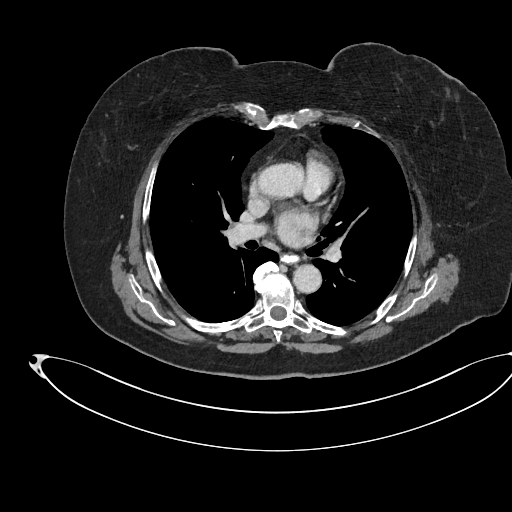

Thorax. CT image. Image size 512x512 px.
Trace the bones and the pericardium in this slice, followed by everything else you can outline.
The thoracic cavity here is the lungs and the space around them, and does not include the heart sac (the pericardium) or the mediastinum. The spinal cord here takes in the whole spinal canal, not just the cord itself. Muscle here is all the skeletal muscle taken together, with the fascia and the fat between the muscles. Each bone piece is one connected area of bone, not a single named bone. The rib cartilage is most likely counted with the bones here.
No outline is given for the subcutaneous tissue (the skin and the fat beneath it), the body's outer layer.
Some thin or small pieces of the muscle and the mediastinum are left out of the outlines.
{"bones":[{"outer":[[268,261],[286,276],[295,297],[308,312],[349,332],[339,336],[313,328],[306,333],[286,326],[278,343],[273,328],[267,325],[252,332],[241,326],[215,334],[198,331],[186,323],[177,311],[210,323],[232,320],[247,312],[260,296],[254,290],[253,273]],"hole":[[276,306],[279,306],[280,307],[281,307],[282,308],[283,308],[285,310],[285,316],[282,319],[275,319],[273,317],[272,317],[272,316],[270,314],[270,312],[271,311],[271,310],[272,309],[272,308],[273,308],[274,307],[275,307]]},[[246,102],[252,102],[262,106],[269,116],[277,113],[294,112],[304,107],[309,107],[314,111],[319,112],[320,115],[314,120],[313,124],[307,123],[299,128],[280,125],[271,129],[260,129],[255,124],[250,124],[248,116],[236,108],[237,106],[243,106]],[[433,273],[437,274],[437,281],[433,289],[424,298],[418,300],[409,311],[390,322],[387,322],[383,317],[377,322],[370,324],[370,321],[375,317],[375,310],[390,293],[398,290],[398,295],[387,314],[397,313],[406,308],[413,298],[422,293],[426,279]],[[157,160],[158,160],[159,162],[156,170],[155,178],[153,182],[153,187],[151,192],[151,201],[150,202],[150,207],[149,208],[149,215],[146,221],[143,222],[142,220],[142,206],[144,200],[145,188],[152,165],[154,162]],[[130,274],[132,274],[133,275],[134,278],[141,287],[143,296],[146,299],[152,302],[157,311],[161,315],[166,318],[173,320],[175,323],[174,325],[169,325],[162,321],[153,313],[150,307],[147,304],[143,302],[141,302],[138,299],[132,290],[129,282]],[[145,247],[149,247],[152,250],[153,255],[155,258],[156,263],[158,266],[159,271],[162,277],[162,280],[160,282],[160,285],[162,288],[162,292],[159,291],[155,285],[154,281],[149,271],[149,269],[145,259],[145,255],[144,254],[144,249]],[[413,230],[414,230],[417,233],[417,243],[416,244],[416,249],[415,250],[413,261],[411,264],[411,266],[408,272],[408,274],[406,277],[404,277],[404,275],[403,274],[403,266],[404,265],[404,260],[407,253],[407,250],[409,246],[410,240],[412,237]],[[337,118],[340,118],[341,119],[349,119],[350,120],[359,120],[361,122],[360,127],[362,129],[365,130],[368,127],[371,128],[379,135],[379,138],[372,134],[370,134],[366,132],[364,130],[352,128],[350,126],[346,124],[333,123],[333,120]]],"pericardium":[[[297,133],[305,133],[317,138],[335,152],[345,182],[343,186],[343,193],[328,221],[319,227],[317,233],[307,245],[299,249],[292,249],[282,245],[252,213],[250,209],[248,207],[246,208],[246,197],[243,186],[250,166],[263,153],[271,148],[278,140]]],"thoracic_cavity":[[[212,116],[238,118],[273,132],[272,138],[250,156],[240,176],[240,187],[250,234],[258,246],[278,256],[276,263],[268,260],[254,269],[253,290],[259,296],[253,305],[238,317],[215,322],[188,314],[170,292],[153,252],[149,223],[162,156],[183,130]],[[328,124],[364,131],[389,148],[403,173],[412,213],[411,237],[402,270],[391,292],[373,311],[347,326],[318,318],[302,303],[320,288],[323,280],[313,263],[315,257],[306,250],[323,238],[321,230],[337,209],[346,182],[337,153],[322,138],[321,131]]],"mediastinum":[[[317,122],[332,123],[321,129],[323,141],[305,132],[278,139],[249,166],[249,168],[242,186],[245,208],[248,208],[286,248],[307,246],[324,225],[322,238],[305,250],[321,284],[301,301],[280,272],[278,254],[258,245],[248,228],[244,213],[241,176],[251,156],[273,138],[272,129]]],"torso":[[[360,42],[387,44],[431,60],[474,91],[491,112],[511,175],[511,288],[502,309],[391,363],[322,377],[247,379],[192,371],[99,329],[74,287],[63,209],[77,138],[104,90],[137,63],[180,47],[221,48],[241,64],[294,60],[324,69],[339,50]]],"spinal_cord":[[[276,306],[279,306],[280,307],[281,307],[282,308],[283,308],[285,310],[285,316],[282,319],[275,319],[273,317],[272,317],[272,316],[270,314],[270,312],[271,311],[271,310],[272,309],[272,308],[273,308],[274,307],[275,307]]],"muscle":[{"outer":[[223,101],[245,101],[235,108],[245,114],[248,121],[212,115],[188,125],[171,141],[161,158],[151,165],[141,206],[141,220],[145,223],[148,219],[152,246],[152,249],[149,246],[143,249],[148,271],[159,292],[163,292],[161,282],[165,283],[185,311],[176,312],[186,324],[198,332],[215,335],[241,327],[252,333],[267,326],[272,328],[278,344],[286,327],[306,334],[314,329],[343,337],[350,332],[345,327],[374,311],[370,325],[383,318],[390,323],[409,312],[434,289],[438,274],[431,273],[425,279],[421,293],[403,309],[388,314],[399,295],[399,290],[393,289],[402,271],[404,278],[408,276],[418,243],[404,173],[374,129],[369,126],[362,128],[359,119],[337,117],[332,122],[314,122],[321,114],[310,107],[361,115],[384,129],[408,153],[433,224],[434,246],[439,254],[452,253],[459,261],[459,281],[449,301],[408,319],[374,341],[317,354],[298,353],[280,345],[263,353],[224,352],[213,346],[171,341],[132,321],[113,290],[110,263],[131,219],[133,198],[142,172],[152,152],[174,123],[196,107]],"hole":[[130,274],[132,274],[133,275],[134,278],[141,287],[143,296],[146,299],[152,302],[157,311],[161,315],[166,318],[173,320],[175,323],[174,325],[169,325],[162,321],[153,313],[150,307],[147,304],[143,302],[141,302],[138,299],[132,290],[129,282]]}]}